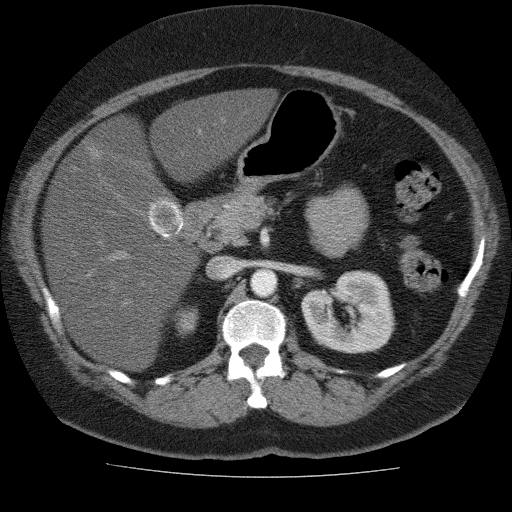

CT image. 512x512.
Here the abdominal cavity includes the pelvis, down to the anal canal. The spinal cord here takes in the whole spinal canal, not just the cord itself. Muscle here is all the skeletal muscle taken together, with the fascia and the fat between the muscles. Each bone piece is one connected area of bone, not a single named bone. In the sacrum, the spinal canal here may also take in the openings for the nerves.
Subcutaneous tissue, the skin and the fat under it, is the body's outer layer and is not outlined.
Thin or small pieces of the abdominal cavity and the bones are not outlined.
Outlined structures:
muscle: (239, 62) (257, 62) (281, 65) (292, 64) (325, 68) (353, 75) (390, 91) (404, 101) (413, 110) (434, 122) (460, 143) (470, 153) (475, 161) (478, 163) (485, 177) (488, 184) (490, 196) (496, 206) (496, 211) (500, 218) (501, 238) (499, 240) (497, 253) (495, 255) (492, 262) (491, 269) (488, 274) (489, 276) (483, 285) (479, 298) (475, 302) (475, 311) (471, 319) (455, 340) (453, 348) (443, 365) (429, 376) (422, 377) (421, 379) (400, 389) (388, 397) (377, 408) (367, 415) (348, 423) (331, 426) (306, 425) (292, 422) (271, 410) (268, 411) (265, 409) (252, 409) (240, 420) (230, 424) (210, 428) (180, 427) (152, 419) (105, 394) (102, 394) (86, 386) (81, 385) (71, 376) (65, 368) (62, 361) (57, 357) (56, 353) (48, 342) (41, 328) (37, 311) (34, 305) (34, 301) (29, 293) (28, 288) (18, 274) (14, 265) (14, 261) (9, 253) (10, 245) (8, 240) (8, 232) (11, 222) (11, 210) (14, 204) (15, 196) (18, 193) (18, 188) (27, 170) (59, 136) (89, 111) (102, 102) (106, 101) (110, 97) (126, 89) (163, 75) (188, 69) (211, 67), around a hole outlined by (240, 67) (404, 114) (465, 186) (470, 262) (484, 235) (482, 264) (437, 339) (388, 377) (334, 372) (287, 315) (285, 374) (263, 379) (267, 406) (253, 408) (249, 382) (227, 379) (221, 310) (211, 351) (164, 385) (115, 379) (52, 324) (35, 218) (64, 149) (142, 97)
spinal cord: (251, 344) (257, 344) (258, 345) (260, 345) (261, 346) (264, 347) (267, 350) (267, 353) (264, 357) (264, 358) (262, 361) (262, 363) (259, 365) (255, 365) (254, 366) (253, 366) (252, 365) (250, 365) (248, 363) (246, 363) (241, 355) (241, 351) (244, 348) (247, 347)
torso: (240, 3) (321, 10) (392, 39) (454, 94) (496, 168) (511, 239) (501, 327) (489, 360) (457, 413) (409, 439) (325, 459) (269, 454) (188, 460) (147, 453) (64, 424) (40, 393) (16, 345) (2, 289) (0, 239) (12, 177) (39, 119) (77, 72) (129, 33) (181, 11)
abdominal cavity: (240, 67) (341, 86) (404, 114) (461, 178) (471, 202) (471, 263) (443, 331) (415, 357) (378, 371) (328, 365) (300, 347) (290, 315) (256, 298) (234, 304) (223, 318) (219, 312) (205, 357) (144, 381) (87, 359) (66, 337) (35, 230) (56, 161) (84, 130) (140, 98)
bones 1: (247, 299) (261, 300) (276, 306) (286, 320) (285, 337) (279, 346) (285, 374) (283, 377) (266, 376) (263, 379) (260, 387) (267, 401) (264, 408) (248, 405) (247, 398) (251, 393) (251, 387) (245, 378) (230, 381) (227, 379) (230, 348) (222, 337) (221, 324) (230, 308); inner edge: (251, 344) (257, 344) (258, 345) (260, 345) (261, 346) (264, 347) (267, 350) (267, 353) (264, 357) (264, 358) (262, 361) (262, 363) (259, 365) (255, 365) (254, 366) (253, 366) (252, 365) (250, 365) (248, 363) (246, 363) (241, 355) (241, 351) (244, 348) (247, 347)
bones 2: (483, 235) (484, 235) (485, 237) (485, 244) (484, 245) (482, 264) (473, 278) (469, 286) (466, 296) (465, 297) (459, 297) (457, 293) (457, 288) (459, 284) (465, 277) (473, 260) (475, 258) (478, 248) (478, 244) (480, 241) (480, 238) (481, 236)
bones 3: (40, 283) (46, 286) (52, 298) (59, 308) (60, 322) (61, 323) (60, 331) (58, 331) (57, 329) (52, 324) (52, 322) (50, 319) (50, 317) (48, 313) (47, 305) (46, 304) (46, 302) (44, 299) (44, 297) (43, 296) (43, 294) (41, 290) (41, 286) (40, 285)
bones 4: (402, 362) (406, 362) (406, 364) (405, 366) (404, 366) (400, 370) (394, 373) (392, 375) (388, 377) (386, 377) (385, 378) (377, 378) (376, 377) (374, 377) (374, 375) (377, 372) (385, 368) (387, 368) (390, 366) (393, 366) (396, 364) (399, 364)
bones 5: (108, 368) (111, 368) (112, 369) (115, 369) (116, 370) (118, 370) (119, 371) (124, 373) (133, 380) (133, 383) (132, 384) (126, 384) (125, 383) (123, 383) (122, 382) (121, 382) (120, 381) (115, 379) (113, 377) (112, 377) (107, 372) (107, 369)